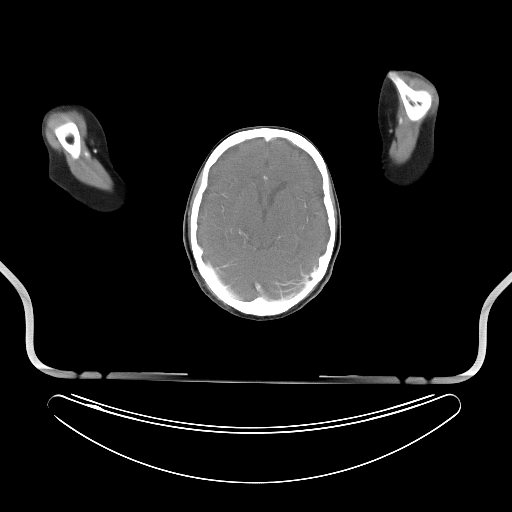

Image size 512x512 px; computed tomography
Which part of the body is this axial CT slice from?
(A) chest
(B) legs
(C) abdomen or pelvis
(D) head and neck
Answer: (D) head and neck
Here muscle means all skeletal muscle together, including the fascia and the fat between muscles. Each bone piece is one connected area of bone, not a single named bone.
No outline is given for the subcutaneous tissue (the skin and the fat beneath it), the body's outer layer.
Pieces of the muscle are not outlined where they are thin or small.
{"muscle":[{"outer":[[59,109],[61,110],[76,109],[83,114],[88,126],[89,134],[93,138],[97,148],[98,158],[114,182],[114,188],[112,191],[101,190],[86,185],[78,181],[71,174],[64,157],[61,154],[56,152],[49,144],[45,133],[46,118],[52,111]],"hole":[[68,121],[72,121],[75,123],[77,126],[78,132],[79,133],[79,136],[80,137],[80,146],[81,147],[81,151],[80,152],[79,156],[75,159],[73,158],[71,155],[64,149],[58,140],[54,132],[54,129],[57,126],[60,124],[65,123]]},[[399,73],[413,74],[428,82],[434,90],[436,104],[433,114],[421,125],[418,140],[411,157],[402,164],[394,164],[388,157],[390,144],[388,132],[391,100],[390,80],[396,88],[407,117],[413,122],[421,120],[426,115],[433,99],[426,89],[412,88]],[[200,173],[200,182],[199,183],[198,188],[195,193],[195,195],[192,200],[192,203],[190,207],[189,242],[189,240],[188,239],[188,228],[187,227],[187,223],[188,222],[187,221],[187,214],[188,213],[189,205],[190,204],[191,197],[193,193],[193,190]],[[202,278],[203,279],[203,280],[204,281],[204,282],[206,284],[206,285],[208,287],[208,288],[211,291],[211,292],[218,299],[217,299],[207,289],[207,288],[205,286],[205,285],[204,284],[204,282],[203,281],[203,280],[202,279]]],"left_arm":[[[396,68],[407,68],[420,72],[433,82],[437,88],[439,94],[439,107],[434,130],[434,160],[433,164],[423,182],[418,186],[409,190],[400,190],[390,185],[382,175],[380,162],[382,143],[377,121],[377,107],[379,92],[382,80],[385,74],[388,70]]],"bones":[{"outer":[[260,127],[277,128],[295,132],[305,137],[317,148],[327,165],[330,197],[336,221],[334,247],[325,274],[306,297],[286,311],[274,315],[244,313],[220,300],[200,275],[190,247],[191,207],[199,188],[201,172],[208,156],[212,150],[228,136],[238,131]],"hole":[[256,138],[266,142],[276,138],[287,140],[311,158],[321,178],[322,203],[328,227],[325,249],[308,274],[309,278],[303,281],[302,287],[296,292],[271,299],[261,295],[251,299],[242,298],[204,260],[204,250],[197,238],[200,206],[212,166],[229,148]]},[[391,70],[396,71],[400,77],[412,89],[414,90],[426,90],[429,92],[431,95],[432,99],[431,100],[430,107],[426,112],[425,115],[421,119],[416,121],[413,121],[408,117],[403,102],[399,95],[396,86],[387,76],[387,73]],[[68,121],[72,121],[75,123],[77,126],[78,132],[79,133],[79,136],[80,137],[80,146],[81,147],[81,151],[80,152],[79,156],[75,159],[73,158],[71,155],[64,149],[58,140],[54,132],[54,129],[57,126],[60,124],[65,123]]],"head":[[[256,125],[289,127],[303,134],[316,146],[331,172],[341,212],[341,244],[330,278],[318,295],[301,309],[287,317],[271,321],[254,321],[240,318],[212,302],[201,291],[191,272],[182,239],[186,200],[196,172],[204,158],[212,147],[229,132],[238,128]]],"right_arm":[[[62,102],[75,102],[82,104],[89,108],[99,120],[106,136],[109,155],[113,167],[121,176],[128,189],[128,200],[126,204],[118,211],[112,213],[101,213],[89,209],[76,201],[49,179],[48,177],[48,154],[42,140],[41,120],[44,112],[50,106]]],"brain":[[[256,138],[266,142],[276,138],[287,140],[311,158],[321,178],[322,203],[328,227],[325,249],[308,274],[309,278],[303,281],[302,287],[296,292],[271,299],[261,295],[251,299],[242,298],[204,260],[204,250],[197,238],[200,206],[212,166],[229,148]]]}